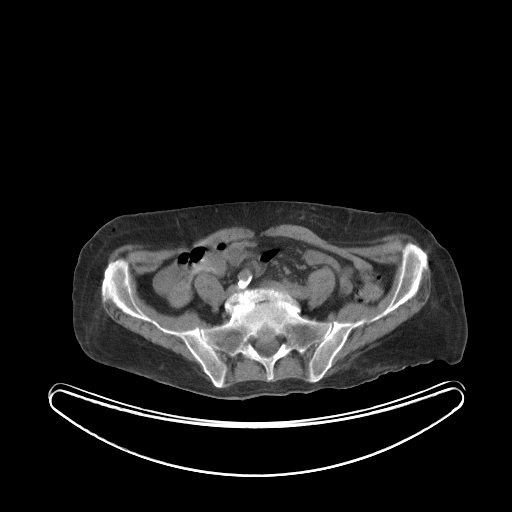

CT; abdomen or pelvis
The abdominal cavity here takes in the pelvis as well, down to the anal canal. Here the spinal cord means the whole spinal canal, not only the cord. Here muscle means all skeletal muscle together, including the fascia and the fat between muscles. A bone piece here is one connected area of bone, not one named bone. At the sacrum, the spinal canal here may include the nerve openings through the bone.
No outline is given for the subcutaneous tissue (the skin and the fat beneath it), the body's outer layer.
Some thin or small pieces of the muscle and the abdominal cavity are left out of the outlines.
{"muscle":[[[279,224],[293,224],[306,227],[329,242],[360,243],[378,240],[392,234],[406,234],[414,238],[429,251],[428,260],[427,253],[418,244],[407,241],[403,245],[397,283],[394,287],[393,294],[385,308],[371,317],[363,317],[355,321],[333,320],[322,322],[329,313],[337,312],[345,304],[350,302],[359,303],[370,308],[377,306],[392,286],[395,272],[395,266],[393,264],[378,262],[355,253],[328,250],[302,239],[281,235],[256,235],[253,238],[240,238],[207,243],[171,256],[150,272],[136,276],[139,296],[156,311],[170,316],[178,316],[188,310],[193,310],[210,324],[212,326],[210,327],[196,326],[191,329],[176,330],[161,325],[147,315],[136,303],[131,286],[129,263],[123,257],[109,261],[103,270],[100,284],[101,300],[103,302],[110,301],[125,314],[148,322],[165,334],[178,337],[200,365],[211,383],[200,376],[180,354],[155,344],[125,328],[110,318],[101,307],[98,289],[102,272],[108,255],[119,246],[125,244],[167,246],[175,243],[191,242],[219,229],[234,226],[251,229],[257,234],[271,226]],[[429,265],[432,286],[430,296],[421,309],[393,330],[376,339],[372,344],[373,345],[366,348],[357,355],[347,368],[341,369],[327,377],[324,377],[332,366],[334,358],[344,346],[352,330],[386,316],[415,296],[420,288],[423,274],[429,269]],[[238,354],[241,354],[244,357],[250,360],[256,361],[261,364],[265,369],[265,378],[267,381],[249,380],[248,381],[239,382],[229,387],[226,387],[225,388],[226,386],[226,383],[225,382],[226,381],[227,371],[229,369],[229,367],[231,364],[232,358]],[[323,267],[327,267],[333,272],[334,276],[335,277],[335,285],[329,297],[328,297],[322,303],[317,305],[314,308],[311,308],[308,305],[308,301],[310,298],[310,293],[308,291],[307,283],[306,282],[308,279],[308,276],[312,272],[315,270],[317,270]],[[293,350],[295,350],[301,354],[301,355],[307,361],[307,372],[308,373],[308,375],[307,376],[307,381],[304,381],[301,379],[297,379],[296,378],[287,378],[286,379],[272,381],[274,380],[274,366],[275,365],[275,363],[279,359],[286,356]],[[199,274],[207,274],[210,276],[212,276],[214,278],[215,278],[221,284],[222,288],[223,289],[223,291],[224,292],[224,296],[220,302],[220,307],[217,310],[214,310],[208,303],[204,302],[198,294],[196,290],[194,282],[195,281],[196,277]]],"abdominal_cavity":[{"outer":[[256,236],[302,240],[328,251],[391,264],[391,286],[377,305],[350,301],[329,312],[323,321],[303,316],[293,297],[272,286],[231,294],[224,302],[229,318],[220,324],[212,325],[193,309],[178,315],[159,312],[140,296],[138,275],[150,273],[187,250]],"hole":[[323,267],[327,267],[333,272],[334,276],[335,277],[335,285],[329,297],[328,297],[322,303],[317,305],[314,308],[311,308],[308,305],[308,301],[310,298],[310,293],[308,291],[307,283],[306,282],[308,279],[308,276],[312,272],[315,270],[317,270]]}],"bones":[{"outer":[[407,242],[427,255],[416,294],[353,328],[315,382],[293,349],[274,363],[271,381],[261,363],[238,353],[225,386],[216,387],[178,336],[101,295],[105,268],[123,258],[135,303],[168,329],[225,323],[231,295],[271,287],[305,318],[355,322],[389,304]],"hole":[[279,335],[283,336],[284,338],[283,342],[279,344],[275,352],[274,352],[271,355],[269,355],[268,356],[260,354],[257,350],[255,345],[254,344],[250,343],[249,341],[250,337],[252,336],[256,337],[257,339],[261,338],[266,341],[267,340],[274,339]]}],"spinal_cord":[[[279,335],[283,336],[284,338],[283,342],[279,344],[275,352],[274,352],[271,355],[269,355],[268,356],[260,354],[257,350],[255,345],[254,344],[250,343],[249,341],[250,337],[252,336],[256,337],[257,339],[261,338],[266,341],[267,340],[274,339]]],"torso":[[[251,200],[309,201],[376,212],[399,211],[416,217],[450,253],[460,277],[468,324],[462,359],[455,364],[434,360],[408,366],[344,389],[324,388],[309,393],[227,400],[158,383],[99,363],[87,356],[73,330],[72,281],[79,252],[98,228],[126,213]]]}